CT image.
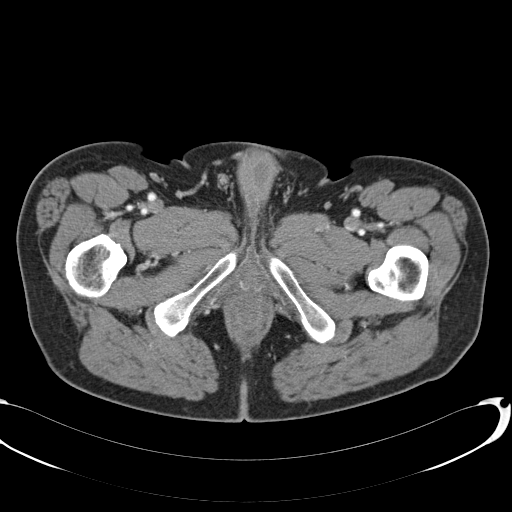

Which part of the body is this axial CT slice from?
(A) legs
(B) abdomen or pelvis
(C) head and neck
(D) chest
Answer: (B) abdomen or pelvis
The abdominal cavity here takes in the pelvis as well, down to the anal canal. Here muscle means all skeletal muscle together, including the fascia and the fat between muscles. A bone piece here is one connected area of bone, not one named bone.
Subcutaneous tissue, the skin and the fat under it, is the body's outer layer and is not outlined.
The muscle is outlined by 83,157 132,167 172,203 204,208 221,208 238,198 242,182 253,175 267,178 279,208 311,212 379,178 421,176 444,184 471,216 471,240 440,305 433,355 373,386 326,399 284,401 270,371 306,340 300,325 277,313 257,349 242,358 219,306 192,332 208,346 220,372 219,389 204,399 158,395 91,373 78,357 77,330 43,264 35,214 51,175; inner edges: 100,233 105,233 107,234 115,242 119,243 126,253 128,260 125,266 120,270 116,278 111,283 108,290 104,295 100,297 88,298 84,296 78,295 70,287 65,277 64,265 67,254 73,246 83,240 93,237, then 398,244 408,244 415,246 419,248 427,256 428,259 428,274 427,275 426,287 423,296 417,300 401,301 397,299 391,298 372,290 367,283 367,275 369,270 377,267 383,261 385,257 385,254 388,249 390,247, then 229,252 235,252 236,253 237,263 235,268 221,281 209,290 195,305 190,314 189,321 183,330 180,331 173,337 170,337 164,333 156,324 154,319 153,309 155,305 157,303 163,301 175,294 189,289 221,257, then 243,276 255,276 262,285 265,286 271,292 273,296 273,300 271,300 269,312 267,314 263,327 251,339 247,340 240,339 235,335 230,325 230,322 228,321 228,316 224,307 224,304 226,303 228,284 237,281, then 271,257 276,257 280,259 286,264 292,271 299,284 306,294 313,301 319,305 333,319 336,325 335,327 335,334 330,340 324,343 319,343 312,339 307,333 301,323 300,314 296,306 269,271 268,268 268,261. The abdominal cavity is outlined by 243,276 255,276 262,285 265,286 271,292 273,296 273,300 271,300 269,312 267,314 263,327 251,339 247,340 240,339 235,335 230,325 230,322 228,321 228,316 224,307 224,304 226,303 228,284 237,281. The torso is outlined by 107,140 139,143 163,163 204,143 259,142 318,159 331,179 346,175 353,158 370,154 448,170 475,196 489,240 474,342 438,379 360,406 281,421 171,417 67,384 47,365 29,324 16,227 26,191 47,162. The bones appear in 4 outlined pieces: piece 1: 100,233 105,233 107,234 115,242 119,243 126,253 128,260 125,266 120,270 116,278 111,283 108,290 104,295 100,297 88,298 84,296 78,295 70,287 65,277 64,265 67,254 73,246 83,240 93,237; piece 2: 398,244 408,244 415,246 419,248 427,256 428,259 428,274 427,275 426,287 423,296 417,300 401,301 397,299 391,298 372,290 367,283 367,275 369,270 377,267 383,261 385,257 385,254 388,249 390,247; piece 3: 229,252 235,252 236,253 237,263 235,268 221,281 209,290 195,305 190,314 189,321 183,330 180,331 173,337 170,337 164,333 156,324 154,319 153,309 155,305 157,303 163,301 175,294 189,289 221,257; piece 4: 271,257 276,257 280,259 286,264 292,271 299,284 306,294 313,301 319,305 333,319 336,325 335,327 335,334 330,340 324,343 319,343 312,339 307,333 301,323 300,314 296,306 269,271 268,268 268,261.